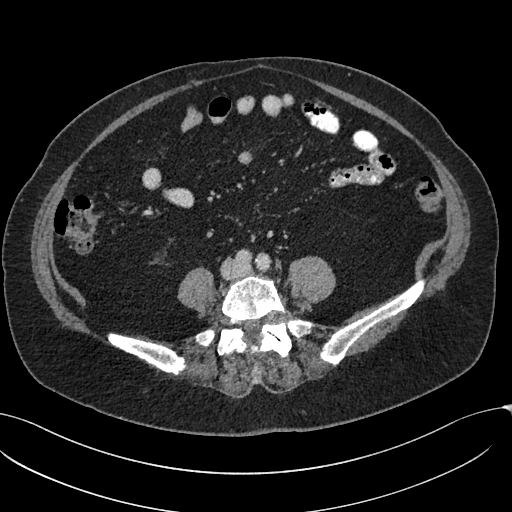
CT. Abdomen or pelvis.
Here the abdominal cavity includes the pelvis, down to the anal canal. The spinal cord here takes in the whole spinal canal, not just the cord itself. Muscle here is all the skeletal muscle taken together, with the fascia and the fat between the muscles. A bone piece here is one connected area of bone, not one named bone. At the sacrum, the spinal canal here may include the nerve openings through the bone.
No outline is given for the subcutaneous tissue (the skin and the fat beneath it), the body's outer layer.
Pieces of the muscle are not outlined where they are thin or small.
{"torso":[[[276,55],[342,63],[392,83],[429,109],[482,172],[497,212],[499,249],[492,324],[476,363],[429,393],[362,419],[310,431],[250,436],[148,427],[98,412],[38,383],[23,365],[10,333],[1,247],[13,201],[51,140],[97,100],[153,73],[198,61]]],"spinal_cord":[[[272,312],[279,312],[284,317],[284,319],[282,321],[279,322],[268,322],[265,321],[260,328],[260,332],[262,335],[262,338],[259,341],[258,344],[253,345],[245,341],[244,340],[244,329],[239,324],[240,322],[241,321],[257,321],[260,318]]],"abdominal_cavity":[[[255,69],[305,80],[413,141],[445,196],[444,235],[423,245],[407,287],[338,324],[300,317],[337,283],[317,255],[289,264],[289,296],[250,274],[220,304],[214,275],[194,267],[176,297],[210,326],[173,340],[94,324],[54,260],[74,171],[170,96]]],"bones":[{"outer":[[250,275],[273,279],[292,316],[314,323],[310,333],[292,339],[286,356],[269,350],[254,357],[261,368],[261,381],[256,384],[252,355],[235,351],[219,355],[217,336],[208,346],[191,338],[207,328],[218,332],[230,325],[221,309],[222,300],[232,283]],"hole":[[272,312],[279,312],[284,317],[284,319],[282,321],[279,322],[268,322],[265,321],[260,328],[260,332],[262,335],[262,338],[259,341],[258,344],[253,345],[245,341],[244,340],[244,329],[239,324],[240,322],[241,321],[257,321],[260,318]]},[[421,277],[425,278],[425,284],[422,292],[415,302],[408,308],[402,310],[391,318],[381,321],[367,330],[347,350],[345,356],[339,363],[334,366],[323,361],[319,357],[319,353],[323,344],[334,332],[345,325],[370,313],[380,305],[403,291],[417,279]],[[109,331],[131,336],[145,341],[150,341],[154,343],[161,344],[171,348],[179,355],[184,357],[187,364],[187,367],[176,376],[171,373],[165,372],[154,365],[146,362],[143,359],[141,359],[133,354],[128,353],[117,347],[113,346],[106,338],[106,333]]],"muscle":[[[259,64],[301,74],[369,102],[396,119],[441,160],[461,189],[470,216],[470,237],[465,257],[460,267],[447,279],[444,289],[418,302],[398,327],[372,348],[342,360],[348,350],[367,331],[408,309],[423,292],[426,284],[425,277],[421,276],[412,282],[416,261],[426,243],[445,235],[447,229],[446,196],[429,158],[413,140],[395,127],[305,79],[281,71],[255,68],[204,82],[170,95],[120,125],[85,154],[73,171],[54,208],[52,224],[53,260],[58,274],[84,297],[86,309],[93,324],[108,330],[105,333],[105,338],[112,346],[85,333],[61,326],[61,322],[37,287],[31,265],[30,251],[31,235],[37,212],[57,178],[104,128],[133,106],[190,81],[223,75]],[[393,295],[334,331],[322,344],[318,357],[335,367],[324,377],[285,393],[256,386],[244,397],[233,398],[192,385],[186,379],[168,377],[165,373],[176,377],[188,367],[185,357],[161,343],[128,335],[173,341],[197,332],[190,338],[203,347],[217,337],[219,356],[234,352],[252,356],[251,382],[256,385],[262,381],[262,368],[255,357],[274,351],[284,358],[293,347],[293,339],[310,334],[315,323],[338,325],[356,311]],[[306,256],[317,256],[322,258],[327,262],[335,276],[335,282],[336,283],[332,292],[327,297],[310,305],[307,309],[304,310],[299,315],[299,317],[293,316],[293,313],[286,307],[282,298],[290,296],[290,286],[287,281],[288,270],[290,264],[294,260]],[[198,267],[206,268],[213,275],[214,287],[217,292],[217,302],[220,305],[222,314],[229,319],[229,325],[221,327],[218,331],[214,327],[211,327],[208,323],[209,313],[202,315],[195,309],[184,305],[179,301],[177,297],[178,287],[186,274],[194,268]],[[131,355],[133,355],[134,356],[137,357],[139,359],[140,359],[141,360],[143,360],[146,363],[147,363],[150,365],[152,365],[153,366],[154,366],[156,368],[157,368],[158,369],[159,369],[161,371],[162,371],[161,371],[160,372],[157,372],[156,371],[156,370],[154,368],[152,368],[151,367],[149,367],[149,366],[146,363],[145,363],[144,362],[143,362],[142,361],[137,359],[135,357],[134,357],[132,355]]]}